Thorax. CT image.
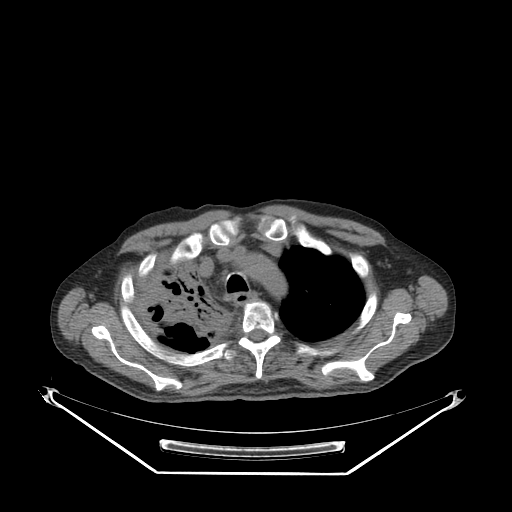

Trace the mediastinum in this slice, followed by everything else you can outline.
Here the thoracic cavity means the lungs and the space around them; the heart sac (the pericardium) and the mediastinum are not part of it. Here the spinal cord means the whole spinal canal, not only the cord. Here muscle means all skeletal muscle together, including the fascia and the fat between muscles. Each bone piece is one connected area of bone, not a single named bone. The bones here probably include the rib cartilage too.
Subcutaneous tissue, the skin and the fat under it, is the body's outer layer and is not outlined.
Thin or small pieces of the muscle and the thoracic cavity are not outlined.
Outlines:
mediastinum: [[249,239],[298,243],[285,249],[279,259],[278,264],[285,274],[289,292],[281,302],[278,311],[274,310],[268,302],[262,299],[246,302],[242,308],[241,315],[238,315],[234,310],[223,307],[204,287],[190,264],[189,261],[203,251],[219,247],[230,247]]
bones 1: [[127,272],[132,276],[134,287],[130,307],[139,324],[152,339],[166,349],[186,354],[203,351],[231,340],[229,346],[236,350],[236,354],[230,360],[220,357],[193,366],[183,366],[169,363],[147,351],[128,331],[120,313],[120,306],[124,303],[121,281]]
bones 2: [[257,300],[262,300],[268,303],[271,308],[278,313],[280,321],[279,324],[283,334],[282,340],[271,347],[264,355],[262,363],[262,375],[260,379],[257,379],[255,376],[256,361],[254,355],[248,349],[237,344],[236,342],[243,308],[246,303]]; inner edge: [[254,329],[261,329],[262,330],[263,330],[264,331],[265,331],[266,332],[266,333],[267,334],[267,336],[263,340],[262,340],[261,341],[253,341],[249,337],[249,333],[251,331],[252,331]]
bones 3: [[396,312],[409,313],[411,319],[407,323],[397,324],[391,341],[377,347],[365,360],[366,368],[375,376],[372,380],[361,381],[355,371],[346,367],[335,368],[327,375],[322,373],[321,367],[326,362],[356,360],[362,357],[373,346],[386,340],[390,335]]
bones 4: [[97,325],[103,325],[109,331],[115,348],[121,357],[128,361],[139,363],[159,376],[176,378],[182,383],[182,386],[176,389],[170,384],[157,391],[154,386],[154,381],[146,372],[121,362],[111,350],[110,344],[106,339],[99,339],[93,335],[91,329]]
bones 5: [[235,217],[240,217],[243,222],[243,225],[241,227],[239,233],[236,236],[232,236],[230,238],[231,239],[230,240],[230,243],[227,245],[220,245],[219,246],[211,243],[207,237],[207,232],[210,225],[215,222],[220,222],[222,220],[225,219],[231,219]]
bones 6: [[194,232],[200,232],[202,233],[202,234],[204,236],[203,248],[201,250],[201,251],[197,256],[190,260],[181,260],[180,261],[178,261],[174,264],[171,264],[170,263],[170,257],[171,256],[171,254],[173,250],[175,248],[177,244],[182,239]]
bones 7: [[293,215],[295,217],[295,222],[294,223],[295,224],[298,224],[299,223],[304,224],[313,235],[321,238],[331,248],[333,253],[330,255],[325,255],[314,248],[302,246],[298,242],[296,237],[293,234],[293,226],[289,219],[290,217]]
bones 8: [[261,214],[265,214],[269,216],[268,219],[269,220],[271,220],[273,218],[276,218],[277,217],[283,218],[286,221],[287,224],[288,236],[285,239],[278,241],[270,240],[264,236],[263,230],[262,229],[258,230],[256,227],[256,224],[258,220],[258,216]]
bones 9: [[374,291],[376,292],[377,294],[377,298],[378,299],[377,301],[377,306],[376,307],[376,309],[373,315],[366,323],[366,324],[356,333],[353,333],[352,332],[353,330],[358,324],[357,322],[357,319],[361,313],[361,311],[365,304],[366,299],[367,297]]
bones 10: [[296,341],[298,342],[303,342],[310,346],[316,347],[317,348],[321,348],[322,349],[326,349],[327,348],[338,348],[338,351],[330,356],[322,356],[321,355],[317,355],[315,356],[306,353],[299,354],[296,352],[296,347],[295,346],[295,342]]
bones 11: [[350,251],[353,251],[354,252],[358,252],[360,254],[361,254],[366,259],[367,261],[367,264],[368,265],[368,272],[367,273],[367,275],[366,277],[362,280],[358,276],[358,275],[353,269],[351,265],[351,263],[350,262],[350,258],[349,257],[349,252]]
bones 12: [[151,252],[156,252],[157,253],[157,256],[156,257],[156,259],[155,260],[155,263],[154,264],[152,269],[145,276],[144,276],[143,277],[138,277],[138,268],[139,267],[139,264],[140,263],[140,262],[142,260],[142,259],[147,254],[148,254]]
thoracic cavity 1: [[162,258],[169,258],[171,265],[188,261],[195,275],[213,299],[223,308],[234,311],[240,316],[237,318],[232,333],[224,341],[193,353],[176,351],[166,348],[156,341],[140,324],[132,304],[135,298],[134,285],[138,278],[145,277],[153,269],[156,262]]
thoracic cavity 2: [[298,244],[305,248],[314,249],[325,256],[335,254],[345,258],[349,261],[352,269],[363,284],[366,298],[356,320],[342,332],[327,339],[311,342],[303,341],[282,328],[280,324],[278,312],[282,302],[289,295],[290,286],[286,274],[279,263],[284,251]]
muscle: [[272,204],[284,204],[319,215],[351,219],[378,231],[384,237],[387,246],[378,244],[370,247],[368,259],[383,297],[388,291],[407,286],[422,275],[434,278],[446,291],[448,307],[444,315],[416,344],[382,366],[376,376],[367,368],[366,360],[377,348],[392,341],[397,325],[407,324],[412,319],[409,312],[402,311],[396,311],[393,315],[387,338],[373,345],[362,356],[356,359],[328,360],[320,367],[324,376],[335,369],[352,370],[362,382],[353,381],[324,389],[308,387],[293,378],[278,378],[267,382],[257,380],[250,383],[227,384],[213,392],[198,395],[181,395],[177,392],[161,391],[170,385],[178,390],[183,383],[176,377],[159,375],[141,363],[121,356],[110,331],[105,325],[97,324],[90,329],[92,335],[99,340],[106,340],[110,350],[121,363],[146,373],[153,381],[155,390],[153,390],[94,361],[61,334],[57,323],[57,311],[61,300],[72,288],[82,287],[106,302],[113,298],[119,267],[125,261],[134,258],[130,254],[117,254],[129,236],[156,224],[188,220],[210,210],[227,210],[245,214]], around a hole outlined by [[261,214],[269,216],[269,220],[280,217],[286,221],[288,236],[279,240],[279,243],[298,242],[289,219],[293,215],[295,224],[304,224],[313,235],[321,238],[334,254],[349,261],[349,252],[353,251],[366,259],[368,272],[361,281],[365,297],[374,291],[378,299],[376,309],[366,324],[353,333],[358,324],[356,320],[337,335],[318,341],[304,341],[317,348],[338,348],[338,351],[330,356],[297,353],[295,342],[303,341],[282,328],[282,340],[264,355],[260,379],[255,376],[254,355],[236,342],[239,317],[232,333],[225,339],[231,340],[229,346],[236,350],[236,354],[230,360],[220,357],[193,366],[183,366],[160,359],[142,347],[128,331],[120,313],[120,306],[124,303],[121,295],[124,274],[130,273],[135,285],[139,264],[147,254],[156,252],[156,262],[162,258],[169,258],[177,244],[194,232],[200,232],[204,236],[202,252],[218,248],[210,242],[207,232],[211,224],[225,219],[240,217],[243,225],[239,233],[230,238],[229,244],[220,247],[230,247],[249,239],[269,241],[263,230],[256,227],[258,216]]
spinal cord: [[254,329],[261,329],[262,330],[263,330],[264,331],[265,331],[266,332],[266,333],[267,334],[267,336],[263,340],[262,340],[261,341],[253,341],[249,337],[249,333],[251,331],[252,331]]
torso: [[274,198],[307,199],[353,209],[377,220],[394,236],[443,267],[454,285],[456,311],[453,335],[438,353],[410,366],[382,387],[365,393],[167,403],[136,398],[89,373],[55,347],[49,313],[58,285],[140,217],[175,205],[195,208],[214,203],[241,207]]